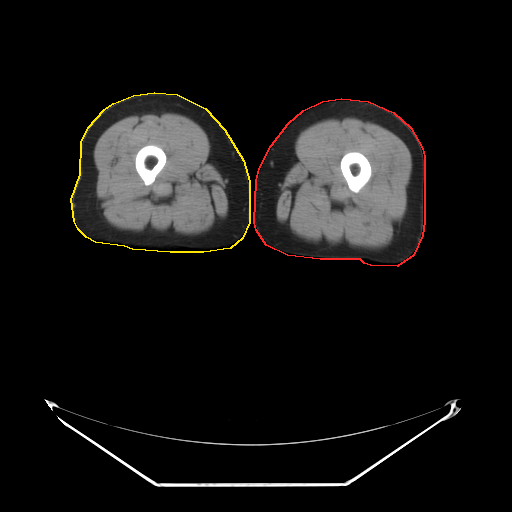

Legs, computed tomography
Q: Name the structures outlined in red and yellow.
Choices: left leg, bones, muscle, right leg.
A: red: left leg; yellow: right leg.
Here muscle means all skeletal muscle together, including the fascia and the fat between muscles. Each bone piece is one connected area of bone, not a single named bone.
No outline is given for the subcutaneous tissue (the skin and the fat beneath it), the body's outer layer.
Outlined structures:
left leg: (341, 98) (368, 101) (393, 112) (410, 127) (422, 148) (424, 156) (424, 221) (422, 235) (413, 255) (397, 266) (370, 265) (364, 263) (360, 259) (320, 259) (287, 255) (266, 245) (256, 230) (254, 222) (256, 180) (259, 168) (271, 145) (288, 123) (303, 110) (322, 101)
right leg: (154, 92) (177, 94) (205, 108) (224, 129) (243, 160) (249, 181) (249, 222) (242, 238) (230, 248) (203, 252) (170, 252) (132, 249) (124, 246) (95, 242) (86, 237) (78, 229) (74, 221) (71, 199) (80, 174) (81, 142) (88, 127) (104, 109) (113, 103) (133, 95)
muscle 1: (327, 117) (355, 117) (376, 123) (397, 135) (410, 151) (412, 157) (412, 172) (407, 187) (405, 220) (402, 230) (391, 249) (377, 252) (364, 252) (302, 242) (283, 230) (276, 220) (276, 215) (273, 210) (273, 200) (278, 184) (283, 179) (290, 166) (295, 141) (302, 130) with a hole at (350, 151) (357, 151) (363, 154) (367, 158) (371, 166) (371, 176) (369, 180) (359, 190) (358, 192) (354, 192) (350, 190) (350, 189) (348, 187) (348, 185) (340, 169) (340, 161) (341, 160) (341, 158) (342, 156) (345, 153) (347, 152) (349, 152)
muscle 2: (162, 111) (175, 112) (184, 115) (193, 119) (204, 129) (210, 138) (217, 164) (227, 179) (227, 217) (218, 227) (207, 233) (198, 235) (181, 235) (176, 233) (119, 230) (105, 224) (99, 217) (95, 202) (97, 171) (93, 160) (93, 150) (98, 138) (120, 117) (136, 113), around a hole outlined by (148, 144) (153, 144) (154, 145) (159, 146) (164, 151) (166, 155) (166, 161) (165, 162) (165, 164) (163, 168) (156, 176) (155, 180) (151, 184) (149, 185) (145, 185) (144, 184) (144, 182) (136, 171) (136, 169) (135, 168) (135, 156) (136, 155) (136, 153) (140, 148)
bones 1: (350, 151) (357, 151) (363, 154) (367, 158) (371, 166) (371, 176) (369, 180) (359, 190) (358, 192) (354, 192) (350, 190) (350, 189) (348, 187) (348, 185) (340, 169) (340, 161) (341, 160) (341, 158) (342, 156) (345, 153) (347, 152) (349, 152)
bones 2: (148, 144) (153, 144) (154, 145) (159, 146) (164, 151) (166, 155) (166, 161) (165, 162) (165, 164) (163, 168) (156, 176) (155, 180) (151, 184) (149, 185) (145, 185) (144, 184) (144, 182) (136, 171) (136, 169) (135, 168) (135, 156) (136, 155) (136, 153) (140, 148)